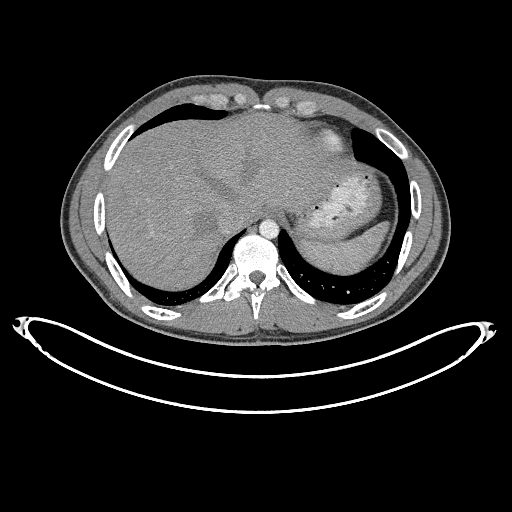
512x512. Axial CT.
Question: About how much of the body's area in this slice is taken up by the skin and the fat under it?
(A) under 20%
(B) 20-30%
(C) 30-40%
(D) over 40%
Answer: (A) under 20%
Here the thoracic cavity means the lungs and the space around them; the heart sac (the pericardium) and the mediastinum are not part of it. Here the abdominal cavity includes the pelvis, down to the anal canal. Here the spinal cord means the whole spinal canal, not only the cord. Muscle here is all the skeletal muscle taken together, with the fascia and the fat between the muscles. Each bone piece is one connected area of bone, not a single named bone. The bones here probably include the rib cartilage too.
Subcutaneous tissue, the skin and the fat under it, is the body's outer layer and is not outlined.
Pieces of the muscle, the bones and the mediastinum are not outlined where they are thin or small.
The muscle is outlined by [[224,335],[242,335],[253,331],[257,327],[260,327],[264,330],[276,333],[312,332],[313,331],[319,331],[320,330],[325,330],[326,329],[345,326],[367,320],[378,315],[388,308],[429,265],[437,250],[439,241],[441,237],[441,208],[440,207],[440,202],[438,199],[435,187],[431,179],[430,174],[422,161],[405,141],[396,133],[393,132],[381,121],[366,112],[357,108],[352,104],[337,97],[318,92],[307,91],[303,89],[299,89],[294,87],[285,86],[284,87],[273,88],[267,91],[261,97],[250,87],[239,83],[232,83],[230,82],[229,83],[218,83],[217,84],[190,85],[170,90],[160,95],[143,106],[133,115],[126,119],[115,128],[109,134],[108,137],[100,148],[93,155],[89,161],[87,167],[81,175],[72,194],[70,206],[69,207],[69,230],[70,231],[71,239],[78,254],[84,263],[89,268],[94,277],[103,287],[107,294],[116,302],[135,315],[143,318],[149,322],[160,325],[171,326],[176,328],[181,328],[187,330],[193,330],[198,332],[203,332],[208,334],[223,334]], around holes outlined by [[164,320],[180,316],[173,308],[195,298],[229,301],[243,289],[250,292],[256,320],[265,291],[281,281],[307,303],[319,299],[348,306],[337,313],[341,318],[376,308],[387,296],[383,287],[405,262],[412,241],[409,219],[417,219],[421,210],[418,184],[407,178],[401,161],[408,157],[404,145],[381,127],[370,133],[336,116],[313,116],[313,101],[298,102],[295,114],[283,110],[289,104],[285,96],[275,99],[277,108],[257,103],[226,109],[230,99],[225,95],[194,95],[192,103],[172,106],[139,127],[124,127],[104,159],[110,175],[105,194],[98,191],[95,197],[94,225],[99,235],[106,231],[110,249],[105,260],[118,285],[132,298],[134,288],[150,303],[141,310]] and by [[237,104],[243,104],[246,101],[246,97],[245,96],[245,95],[244,95],[243,94],[242,94],[241,93],[237,93],[236,94],[235,94],[233,96],[233,100],[234,101],[234,102],[235,102]]. The pericardium is outlined by [[333,160],[344,159],[350,156],[352,156],[351,149],[346,141],[343,134],[337,127],[334,126],[333,124],[329,122],[323,120],[316,120],[312,122],[309,127],[309,133],[310,134],[310,137],[312,143],[314,147],[315,147],[318,151],[321,152],[324,157]]. The abdominal cavity is outlined by [[164,291],[201,282],[227,240],[262,215],[280,223],[310,265],[334,275],[358,273],[383,255],[393,236],[393,184],[354,153],[324,158],[308,133],[315,120],[279,108],[224,109],[228,113],[217,120],[150,128],[128,140],[110,170],[105,230],[130,275]]. The bones appear in 13 outlined pieces: piece 1: [[255,320],[265,291],[279,286],[281,281],[301,300],[314,304],[316,299],[294,281],[280,261],[278,250],[273,243],[259,235],[248,234],[235,244],[232,260],[222,276],[197,299],[199,302],[217,298],[229,301],[237,297],[243,289],[247,289],[250,292]]; inner edge: [[257,284],[258,284],[263,279],[263,278],[264,277],[264,275],[263,274],[263,273],[262,273],[261,272],[260,272],[259,271],[254,271],[253,272],[252,272],[249,275],[249,277],[250,278],[250,279],[253,282],[254,282],[255,283],[256,283]]; piece 2: [[106,171],[108,171],[110,169],[111,169],[117,156],[119,154],[119,152],[121,150],[121,149],[123,147],[129,137],[137,128],[135,124],[131,123],[124,127],[119,132],[119,133],[111,143],[106,153],[106,155],[104,159],[104,164],[103,165],[103,167]]; piece 3: [[345,319],[354,318],[355,317],[360,316],[363,314],[365,314],[373,310],[385,299],[387,296],[387,292],[383,290],[371,298],[367,299],[360,303],[355,304],[345,311],[341,311],[340,312],[338,312],[337,313],[337,316],[341,318],[344,318]]; piece 4: [[402,160],[406,159],[408,157],[407,150],[404,146],[404,145],[394,135],[393,135],[392,133],[391,133],[389,131],[381,127],[375,127],[373,129],[373,133],[376,136],[376,137],[377,137],[378,139],[379,139],[384,144],[385,144],[399,158],[400,158]]; piece 5: [[132,298],[133,297],[133,295],[131,291],[131,287],[130,286],[130,284],[128,280],[124,275],[120,266],[113,256],[110,249],[109,250],[105,251],[105,260],[111,274],[113,276],[114,279],[116,281],[118,285],[121,288],[121,289],[129,297],[131,297]]; piece 6: [[217,109],[225,108],[225,107],[230,101],[230,99],[225,95],[223,95],[222,94],[210,94],[207,96],[205,95],[194,95],[192,96],[191,98],[193,102],[196,104],[201,104],[202,105],[203,104],[206,104],[209,107],[211,107],[212,108],[216,108]]; piece 7: [[99,235],[100,235],[104,231],[104,198],[103,197],[103,194],[101,191],[98,191],[98,192],[97,193],[97,194],[95,197],[95,200],[94,201],[94,206],[93,207],[93,218],[94,219],[94,225],[95,226],[95,229],[96,230],[97,233]]; piece 8: [[164,320],[170,320],[171,319],[176,318],[181,315],[181,313],[180,312],[173,310],[172,309],[161,308],[160,307],[157,307],[156,306],[150,305],[149,304],[142,304],[140,306],[141,310],[146,314],[154,318],[156,318],[157,319],[163,319]]; piece 9: [[393,275],[397,274],[400,271],[405,262],[405,260],[408,255],[408,253],[410,249],[410,246],[412,241],[412,232],[411,230],[408,228],[406,230],[404,237],[403,238],[402,245],[401,246],[400,252],[399,253],[398,259],[397,260],[397,264],[394,270]]; piece 10: [[415,219],[417,219],[418,218],[419,216],[419,214],[420,213],[420,211],[421,210],[421,197],[420,196],[420,191],[419,190],[419,187],[418,186],[418,184],[414,179],[411,179],[409,180],[409,185],[410,186],[410,195],[411,196],[411,216]]; piece 11: [[302,116],[311,116],[316,111],[317,111],[317,106],[316,105],[316,104],[313,101],[310,101],[309,100],[306,100],[305,101],[300,101],[299,102],[298,102],[295,105],[295,106],[296,107],[296,114],[297,114],[298,115],[301,115]]; piece 12: [[280,108],[283,108],[284,107],[286,107],[287,106],[288,106],[288,105],[289,104],[289,99],[287,97],[286,97],[285,96],[281,96],[280,97],[277,97],[275,99],[275,104],[278,107],[279,107]]; piece 13: [[237,104],[243,104],[246,101],[246,97],[245,96],[245,95],[244,95],[243,94],[242,94],[241,93],[237,93],[236,94],[235,94],[233,96],[233,100],[234,101],[234,102],[235,102]]. The torso is outlined by [[240,346],[312,343],[376,325],[413,302],[443,263],[449,245],[451,219],[447,196],[436,169],[395,121],[354,91],[313,80],[223,74],[177,78],[148,91],[124,109],[90,145],[68,181],[60,209],[64,247],[76,268],[112,310],[138,325],[169,336]]. The mediastinum appears in 2 outlined pieces: piece 1: [[277,247],[277,237],[279,231],[281,229],[281,226],[280,226],[279,223],[271,216],[262,216],[260,218],[258,218],[257,220],[246,228],[244,234],[247,234],[248,233],[256,233],[259,234],[263,237],[269,239],[273,242]]; piece 2: [[353,152],[352,142],[350,137],[350,132],[351,130],[356,126],[342,118],[336,116],[328,115],[327,114],[322,114],[321,115],[317,115],[311,117],[302,117],[305,117],[308,119],[323,119],[333,123],[334,125],[337,126],[344,134]]. The thoracic cavity appears in 3 outlined pieces: piece 1: [[349,307],[378,293],[389,281],[410,218],[408,179],[401,160],[372,133],[356,127],[351,132],[356,157],[385,172],[398,194],[398,224],[384,255],[358,274],[348,277],[334,276],[306,263],[297,253],[283,229],[278,237],[280,259],[302,288],[317,299]]; piece 2: [[173,309],[178,305],[197,298],[217,281],[231,260],[232,248],[236,241],[243,234],[244,230],[233,236],[224,245],[214,268],[208,276],[197,286],[184,292],[164,292],[148,287],[134,280],[117,259],[117,256],[109,242],[110,248],[131,286],[150,304]]; piece 3: [[129,139],[131,139],[138,133],[140,133],[150,127],[153,127],[166,121],[186,118],[217,119],[220,117],[223,117],[227,113],[223,109],[217,110],[201,105],[196,105],[193,103],[183,103],[179,105],[175,105],[164,110],[142,124],[138,127]]. The spinal cord is outlined by [[257,284],[258,284],[263,279],[263,278],[264,277],[264,275],[263,274],[263,273],[262,273],[261,272],[260,272],[259,271],[254,271],[253,272],[252,272],[249,275],[249,277],[250,278],[250,279],[253,282],[254,282],[255,283],[256,283]].